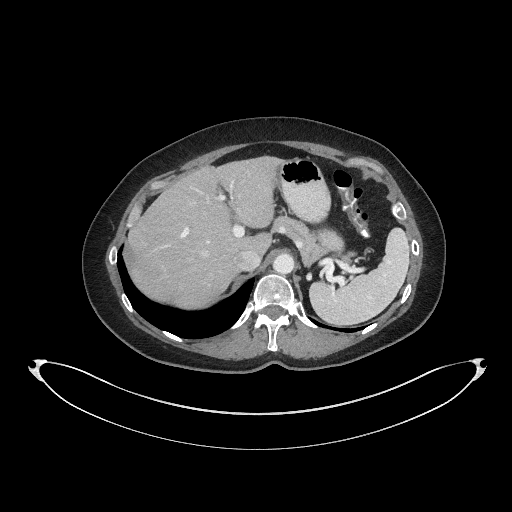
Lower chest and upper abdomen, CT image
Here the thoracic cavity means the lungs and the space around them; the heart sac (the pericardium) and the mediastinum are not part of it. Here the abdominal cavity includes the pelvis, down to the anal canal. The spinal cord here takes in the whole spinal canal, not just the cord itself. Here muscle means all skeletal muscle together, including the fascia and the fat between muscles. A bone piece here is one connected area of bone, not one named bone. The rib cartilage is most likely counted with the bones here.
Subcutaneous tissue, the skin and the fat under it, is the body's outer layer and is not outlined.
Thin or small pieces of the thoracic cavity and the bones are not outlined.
The torso is outlined by [[214,373],[249,373],[271,364],[299,371],[344,365],[397,343],[429,318],[443,288],[445,234],[428,194],[389,148],[365,135],[305,117],[239,118],[204,127],[152,152],[113,188],[92,219],[82,246],[81,271],[90,305],[100,321],[138,353],[160,363]]. The abdominal cavity is outlined by [[336,327],[367,325],[383,314],[400,297],[411,261],[410,239],[390,210],[395,195],[387,182],[365,167],[284,145],[242,148],[148,193],[123,237],[122,257],[138,290],[156,303],[187,311],[215,305],[280,253],[289,253],[294,260],[293,281],[307,315]]. The bones appear in 9 outlined pieces: piece 1: [[270,351],[277,350],[277,330],[282,325],[290,324],[291,316],[306,325],[318,327],[306,315],[290,282],[275,273],[265,274],[257,280],[243,312],[229,328],[238,327],[254,312],[256,316],[253,326],[257,328],[263,324],[267,327],[267,349]], around a hole outlined by [[272,319],[275,319],[277,317],[278,317],[281,314],[282,314],[284,312],[283,309],[281,307],[280,307],[279,306],[274,306],[273,305],[270,305],[269,306],[267,306],[266,307],[265,307],[263,309],[263,312],[265,314],[266,314],[270,318],[271,318]]; piece 2: [[381,174],[383,172],[381,168],[379,166],[369,161],[367,161],[364,159],[362,159],[361,158],[358,158],[357,157],[351,157],[347,159],[347,161],[350,163],[353,163],[356,165],[359,165],[360,166],[365,166]]; piece 3: [[399,220],[403,220],[404,219],[405,219],[407,217],[407,215],[406,214],[406,210],[405,209],[403,204],[400,201],[396,201],[395,202],[394,202],[392,204],[392,205],[391,206],[391,210],[392,211],[392,213],[393,214],[393,215],[397,219],[398,219]]; piece 4: [[128,228],[129,228],[131,226],[131,225],[133,222],[133,220],[134,219],[135,219],[135,218],[136,217],[137,217],[138,214],[141,210],[141,206],[139,203],[136,203],[134,205],[134,206],[132,208],[132,209],[127,218],[127,220],[126,221],[126,226]]; piece 5: [[400,303],[403,303],[406,300],[406,299],[408,297],[408,296],[410,293],[410,291],[411,290],[411,284],[408,282],[404,287],[404,289],[403,290],[403,292],[402,293],[402,295],[401,296],[401,297],[400,298],[400,300],[399,301],[400,302]]; piece 6: [[131,312],[136,312],[135,311],[135,310],[132,307],[132,306],[131,305],[131,304],[130,303],[130,302],[129,301],[127,296],[123,291],[121,293],[121,299],[122,300],[124,305],[126,307],[126,308],[129,311],[130,311]]; piece 7: [[151,190],[155,190],[156,189],[157,189],[160,187],[162,187],[163,186],[164,186],[167,183],[167,180],[166,179],[163,179],[162,180],[159,180],[158,181],[155,181],[154,182],[153,182],[152,183],[151,183],[150,184],[150,186],[149,187],[149,188]]; piece 8: [[180,342],[181,342],[183,340],[183,339],[182,338],[181,338],[180,337],[179,337],[174,334],[172,334],[167,331],[165,331],[164,330],[162,330],[162,332],[165,335],[166,335],[168,337],[169,337],[170,338],[171,338],[176,341],[179,341]]; piece 9: [[360,333],[365,333],[366,332],[367,332],[368,331],[371,330],[373,328],[374,328],[377,325],[377,323],[376,322],[373,322],[371,324],[370,324],[369,325],[366,326],[364,328],[363,328],[361,330],[360,330],[359,331],[359,332]]. The thoracic cavity appears in 2 outlined pieces: piece 1: [[189,338],[206,337],[227,329],[242,312],[250,297],[255,280],[251,278],[231,296],[207,310],[187,312],[162,306],[150,301],[133,285],[123,264],[121,257],[121,246],[118,252],[117,267],[124,291],[133,307],[144,318],[159,328],[167,330],[181,337]]; piece 2: [[345,332],[356,331],[357,330],[361,329],[365,326],[362,326],[361,327],[355,327],[354,328],[336,328],[335,327],[327,326],[326,325],[321,324],[314,320],[312,320],[319,326],[325,327],[326,328],[329,328],[333,330],[344,331]]. The mediastinum is outlined by [[298,300],[297,292],[292,281],[293,260],[291,257],[291,255],[289,254],[285,254],[284,253],[280,254],[262,272],[258,273],[253,277],[256,280],[256,281],[256,280],[261,275],[268,272],[275,272],[276,273],[284,275],[291,282],[294,288],[296,297]]. The spinal cord is outlined by [[272,319],[275,319],[277,317],[278,317],[281,314],[282,314],[284,312],[283,309],[281,307],[280,307],[279,306],[274,306],[273,305],[270,305],[269,306],[267,306],[266,307],[265,307],[263,309],[263,312],[265,314],[266,314],[270,318],[271,318]]. The muscle is outlined by [[230,360],[251,358],[269,351],[266,349],[266,327],[262,325],[255,329],[252,326],[254,313],[236,329],[228,329],[206,338],[183,338],[180,343],[165,336],[137,312],[129,312],[120,299],[123,288],[116,265],[108,262],[108,252],[113,244],[118,247],[121,245],[127,230],[126,218],[136,202],[139,202],[142,208],[147,193],[151,191],[149,184],[163,178],[169,182],[228,152],[261,143],[317,150],[345,160],[357,156],[382,168],[384,172],[379,174],[381,178],[390,184],[396,200],[400,200],[407,210],[408,217],[401,221],[410,238],[415,238],[420,246],[419,255],[412,256],[408,276],[412,290],[403,304],[397,300],[376,321],[378,325],[365,334],[358,331],[338,332],[321,327],[314,329],[291,317],[291,324],[278,330],[278,350],[274,352],[294,358],[319,358],[377,333],[401,316],[410,307],[415,295],[424,256],[422,236],[410,205],[381,162],[369,156],[355,155],[320,143],[263,139],[227,145],[198,155],[177,168],[154,176],[137,191],[125,209],[105,254],[105,266],[121,307],[135,326],[168,344]].